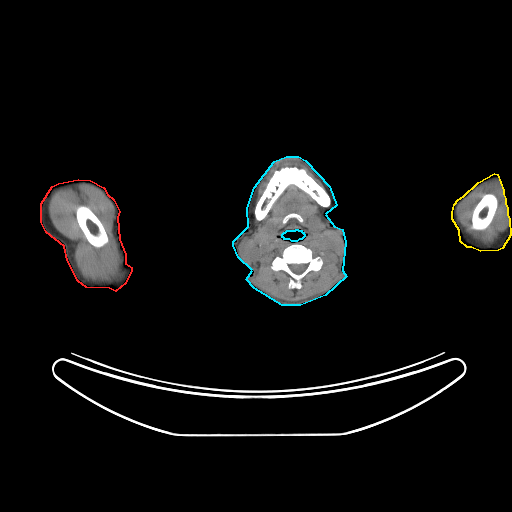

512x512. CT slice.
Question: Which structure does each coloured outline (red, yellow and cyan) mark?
Answer: red: right arm; yellow: left arm; cyan: head and neck.
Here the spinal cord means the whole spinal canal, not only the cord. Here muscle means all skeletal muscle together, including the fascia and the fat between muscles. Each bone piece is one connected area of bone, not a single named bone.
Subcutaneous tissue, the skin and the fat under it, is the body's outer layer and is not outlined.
The right arm is outlined by 78 179; 90 180; 103 187; 107 194; 113 199; 119 211; 117 217; 119 239; 125 254; 125 263; 131 267; 131 270; 125 283; 115 291; 109 288; 86 287; 78 281; 67 260; 64 246; 46 232; 41 222; 41 203; 52 186; 58 183. The left arm is outlined by 494 173; 497 174; 503 190; 503 194; 505 198; 505 203; 507 208; 507 214; 509 219; 510 235; 502 248; 498 250; 480 251; 471 247; 467 247; 460 241; 459 230; 452 219; 452 212; 454 204; 458 199; 463 196; 478 182. The head and neck is outlined by 286 156; 298 156; 305 160; 329 186; 336 205; 325 214; 334 226; 342 229; 345 242; 342 270; 346 276; 325 295; 300 305; 282 305; 254 288; 246 279; 252 270; 238 257; 233 245; 233 241; 248 226; 247 208; 254 187; 274 161 with a hole at 296 229; 297 229; 298 230; 301 230; 301 231; 302 232; 303 232; 303 233; 304 234; 304 236; 301 239; 299 239; 296 241; 292 241; 289 239; 284 239; 284 238; 283 237; 282 237; 282 234; 284 232; 285 232; 287 230; 295 230. The bones appear in 5 outlined pieces: piece 1: 284 166; 290 167; 295 166; 298 168; 303 168; 319 185; 325 189; 331 200; 330 206; 327 208; 323 207; 311 197; 308 193; 296 185; 290 184; 285 188; 275 200; 265 217; 261 220; 257 220; 254 216; 255 205; 262 195; 273 172; piece 2: 292 243; 298 243; 311 249; 314 254; 319 255; 321 257; 323 262; 319 270; 317 271; 312 270; 301 279; 301 287; 298 289; 289 288; 288 284; 290 277; 287 273; 282 270; 275 271; 271 268; 271 263; 275 256; 280 255; 282 251, around a hole outlined by 289 264; 307 264; 307 266; 306 267; 306 268; 301 273; 299 273; 298 274; 297 274; 296 273; 295 273; 294 272; 293 272; 289 268; 289 267; 288 266; 288 265; piece 3: 80 205; 84 205; 85 206; 87 206; 95 214; 95 215; 101 222; 108 237; 108 242; 105 245; 101 247; 95 247; 93 246; 87 240; 87 239; 85 237; 84 235; 84 233; 82 231; 77 221; 77 219; 76 218; 76 208; piece 4: 486 193; 492 193; 494 195; 495 195; 495 196; 497 198; 497 207; 496 208; 495 213; 490 223; 488 225; 488 226; 485 229; 483 229; 482 230; 474 230; 471 228; 471 218; 472 217; 473 210; 475 206; 481 199; 482 196; piece 5: 290 213; 296 213; 297 214; 300 215; 301 216; 301 217; 303 220; 301 222; 300 222; 296 218; 293 217; 292 218; 290 218; 286 222; 286 223; 285 223; 284 224; 282 221; 283 220; 284 217. The muscle appears in 4 outlined pieces: piece 1: 290 185; 294 185; 308 194; 324 208; 321 218; 329 228; 339 233; 342 244; 337 264; 339 277; 321 293; 297 301; 279 299; 260 287; 254 279; 256 270; 239 251; 242 239; 249 236; 254 229; 254 217; 257 221; 263 220; 276 200 with holes at 292 243; 298 243; 311 249; 314 254; 319 255; 321 257; 323 262; 319 270; 317 271; 312 270; 301 279; 301 287; 298 289; 289 288; 288 284; 290 277; 287 273; 282 270; 275 271; 271 268; 271 263; 275 256; 280 255; 282 251 and at 290 213; 296 213; 297 214; 300 215; 301 216; 301 217; 303 220; 301 222; 300 222; 296 218; 293 217; 292 218; 290 218; 286 222; 286 223; 285 223; 284 224; 282 221; 283 220; 284 217; piece 2: 80 186; 90 186; 99 190; 113 206; 113 235; 121 258; 120 267; 123 271; 122 276; 117 280; 92 281; 85 278; 80 273; 75 262; 75 243; 60 233; 55 228; 50 219; 48 213; 48 203; 54 193; 58 190; 66 188; 77 189 with a hole at 80 205; 84 205; 85 206; 87 206; 95 214; 95 215; 101 222; 108 237; 108 242; 105 245; 101 247; 95 247; 93 246; 87 240; 87 239; 85 237; 84 235; 84 233; 82 231; 77 221; 77 219; 76 218; 76 208; piece 3: 491 180; 495 180; 499 184; 499 187; 501 190; 503 207; 504 208; 505 218; 506 219; 506 228; 503 232; 499 234; 497 239; 494 242; 489 244; 485 244; 474 239; 465 231; 464 228; 457 219; 456 212; 458 205; 466 197; 476 188, around a hole outlined by 486 193; 492 193; 494 195; 495 195; 495 196; 497 198; 497 207; 496 208; 495 213; 490 223; 488 225; 488 226; 485 229; 483 229; 482 230; 474 230; 471 228; 471 218; 472 217; 473 210; 475 206; 481 199; 482 196; piece 4: 285 161; 297 162; 306 167; 321 182; 323 186; 319 184; 303 167; 298 167; 295 165; 291 166; 284 165; 277 169; 275 169; 272 172; 272 174; 270 176; 261 195; 258 198; 258 199; 254 205; 253 212; 253 208; 255 200; 260 186; 269 173; 278 164. The spinal cord is outlined by 289 264; 307 264; 307 266; 306 267; 306 268; 301 273; 299 273; 298 274; 297 274; 296 273; 295 273; 294 272; 293 272; 289 268; 289 267; 288 266; 288 265.